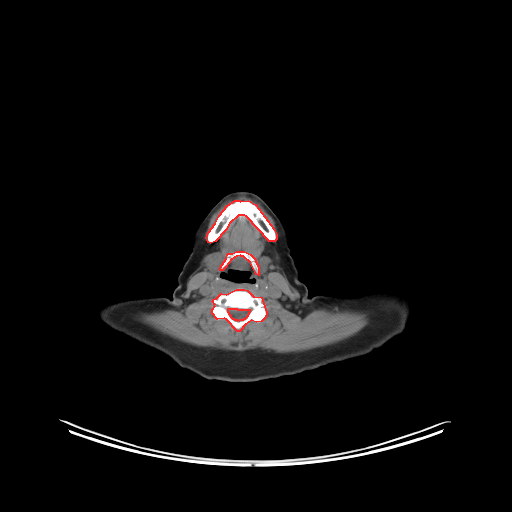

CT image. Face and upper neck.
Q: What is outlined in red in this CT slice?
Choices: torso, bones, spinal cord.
A: red: bones.
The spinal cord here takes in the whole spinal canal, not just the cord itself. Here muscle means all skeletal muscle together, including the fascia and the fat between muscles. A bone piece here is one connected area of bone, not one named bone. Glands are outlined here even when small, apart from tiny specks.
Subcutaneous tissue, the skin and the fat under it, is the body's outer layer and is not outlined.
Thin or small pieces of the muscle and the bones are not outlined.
{"bones":[{"outer":[[236,289],[244,289],[247,290],[253,296],[261,297],[266,312],[265,317],[261,321],[256,322],[251,320],[245,324],[239,331],[237,331],[226,319],[224,318],[217,319],[212,313],[212,309],[215,305],[212,301],[213,299],[216,298],[221,293],[226,294]],"hole":[[228,308],[236,308],[237,309],[249,309],[249,312],[248,313],[248,314],[247,315],[247,316],[244,319],[243,319],[242,320],[239,320],[238,321],[237,320],[235,320],[234,319],[233,319],[231,317],[231,316],[229,314],[229,313],[228,312]]},[[235,200],[239,200],[240,201],[248,200],[255,204],[273,228],[276,234],[276,239],[274,241],[269,241],[246,216],[244,215],[238,215],[229,223],[225,230],[215,241],[210,243],[208,242],[206,238],[208,232],[215,223],[219,215],[227,205]],[[236,251],[244,251],[250,254],[255,259],[255,261],[258,266],[258,272],[259,273],[258,275],[256,274],[250,262],[243,256],[241,256],[240,255],[236,256],[231,259],[225,267],[222,270],[220,270],[220,267],[226,258],[227,254],[228,253],[232,253]]],"submandibular_glands":[[[211,252],[219,252],[221,254],[221,264],[219,266],[219,267],[217,269],[216,269],[215,270],[209,270],[208,269],[208,268],[205,265],[205,264],[204,263],[204,258],[205,257],[205,256],[207,254],[208,254],[209,253],[210,253]],[[260,257],[262,257],[263,258],[265,258],[266,259],[266,260],[267,261],[267,264],[268,265],[268,269],[264,273],[260,273],[259,272],[259,266],[258,265],[258,262],[259,261],[259,258]]],"spinal_cord":[[[228,308],[236,308],[237,309],[249,309],[249,312],[248,313],[248,314],[247,315],[247,316],[244,319],[243,319],[242,320],[239,320],[238,321],[237,320],[235,320],[234,319],[233,319],[231,317],[231,316],[229,314],[229,313],[228,312]]],"muscle":[{"outer":[[239,195],[245,195],[259,202],[273,218],[279,233],[278,250],[281,266],[302,300],[324,307],[336,306],[340,309],[369,312],[374,311],[379,303],[383,301],[389,306],[387,310],[376,315],[368,326],[345,340],[310,350],[288,353],[276,353],[260,348],[233,351],[212,347],[198,347],[175,339],[139,321],[135,317],[136,314],[170,309],[177,302],[183,292],[188,276],[196,268],[202,256],[202,235],[210,217],[225,201]],"holes":[[[236,251],[244,251],[250,254],[257,264],[260,257],[266,259],[268,269],[256,277],[257,286],[254,285],[245,288],[225,285],[219,278],[217,279],[221,271],[220,268],[209,270],[205,265],[204,258],[211,252],[219,252],[221,254],[222,263],[228,253]],[[236,289],[244,289],[247,290],[253,296],[261,297],[266,312],[265,317],[261,321],[256,322],[251,320],[245,324],[239,331],[237,331],[226,319],[224,318],[217,319],[212,313],[212,309],[215,305],[212,301],[213,299],[216,298],[221,293],[226,294]],[[235,200],[239,200],[240,201],[248,200],[255,204],[273,228],[276,234],[276,239],[274,241],[269,241],[246,216],[244,215],[238,215],[229,223],[225,230],[215,241],[210,243],[208,242],[206,238],[208,232],[215,223],[219,215],[227,205]]]}],"torso":[[[381,290],[387,290],[403,294],[412,301],[415,301],[417,303],[417,309],[413,311],[410,320],[402,334],[393,338],[380,348],[375,349],[367,355],[289,375],[293,366],[294,358],[297,354],[300,337],[313,296],[330,295],[353,297]],[[158,296],[164,296],[172,299],[175,309],[176,327],[185,353],[199,370],[208,379],[206,379],[187,369],[180,367],[165,354],[151,347],[144,345],[122,333],[113,330],[100,321],[98,318],[97,316],[98,309],[102,305],[106,303],[118,300],[157,297]]],"head_and_neck":[{"outer":[[235,190],[248,190],[256,193],[279,218],[287,233],[291,256],[299,279],[304,283],[308,295],[311,297],[296,354],[288,375],[253,382],[210,380],[200,370],[187,355],[180,338],[176,309],[172,298],[178,275],[191,252],[196,229],[212,207],[223,196]],"hole":[[238,259],[239,260],[240,259],[247,260],[257,276],[256,277],[256,281],[257,282],[253,286],[248,288],[245,288],[244,287],[234,287],[229,285],[225,285],[220,280],[219,278],[220,272],[232,260],[237,260]]}]}